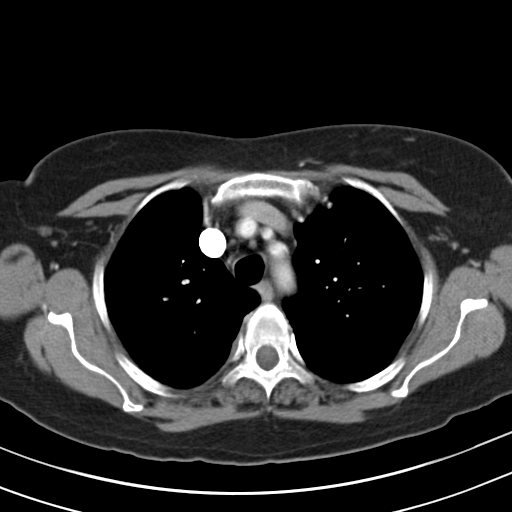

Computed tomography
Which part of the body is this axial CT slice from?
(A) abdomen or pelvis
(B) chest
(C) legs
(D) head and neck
Answer: (B) chest
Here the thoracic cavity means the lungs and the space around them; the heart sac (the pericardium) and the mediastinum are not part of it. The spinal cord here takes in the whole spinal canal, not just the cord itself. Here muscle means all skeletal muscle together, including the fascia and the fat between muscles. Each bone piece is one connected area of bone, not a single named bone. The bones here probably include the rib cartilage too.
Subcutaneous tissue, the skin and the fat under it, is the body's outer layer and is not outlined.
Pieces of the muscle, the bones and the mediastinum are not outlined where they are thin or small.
The spinal cord is outlined by (263, 346) (270, 346) (275, 350) (277, 354) (277, 357) (278, 358) (277, 360) (277, 362) (271, 368) (269, 369) (265, 369) (261, 367) (260, 365) (257, 362) (257, 360) (256, 359) (256, 355) (257, 354) (257, 352) (258, 350) (261, 347). The muscle is outlined by (306, 158) (401, 171) (417, 179) (450, 208) (445, 216) (422, 212) (413, 214) (410, 219) (434, 260) (446, 267) (463, 264) (502, 243) (511, 243) (511, 331) (505, 334) (501, 345) (490, 356) (427, 382) (398, 404) (361, 422) (331, 423) (281, 419) (268, 413) (187, 431) (168, 432) (159, 429) (150, 421) (128, 413) (143, 410) (144, 404) (133, 401) (111, 374) (79, 352) (70, 312) (57, 313) (49, 310) (47, 320) (67, 331) (70, 350) (85, 368) (102, 375) (117, 388) (122, 398) (121, 409) (75, 391) (53, 375) (40, 371) (5, 323) (0, 320) (0, 251) (12, 243) (26, 240) (43, 259) (70, 267) (86, 266) (90, 259) (91, 233) (57, 216) (56, 213) (96, 185) (112, 179) (169, 171) (198, 163) (250, 170), around holes outlined by (252, 171) (305, 178) (323, 193) (344, 185) (343, 176) (356, 177) (401, 218) (422, 272) (433, 270) (434, 289) (423, 323) (414, 321) (394, 358) (404, 354) (405, 363) (388, 382) (357, 392) (324, 378) (302, 384) (285, 377) (268, 400) (253, 379) (224, 386) (219, 371) (197, 386) (174, 388) (174, 398) (146, 390) (116, 360) (116, 351) (130, 356) (95, 307) (96, 260) (102, 255) (106, 267) (134, 210) (159, 186) (195, 173) (187, 186) (203, 198) and by (465, 298) (485, 298) (488, 302) (487, 305) (483, 308) (472, 310) (465, 316) (457, 341) (446, 353) (430, 364) (420, 368) (411, 377) (408, 382) (408, 394) (405, 397) (392, 396) (390, 391) (398, 388) (406, 376) (418, 363) (439, 352) (451, 341) (460, 317) (460, 303). The thoracic cavity appears in 2 outlined pieces: piece 1: (337, 185) (347, 185) (361, 190) (384, 206) (405, 230) (423, 273) (421, 299) (416, 318) (394, 359) (372, 375) (346, 383) (325, 379) (307, 367) (282, 305) (285, 298) (291, 298) (298, 292) (298, 278) (292, 261) (298, 246) (294, 224) (307, 218) (312, 213) (314, 203); piece 2: (187, 186) (202, 196) (202, 227) (197, 242) (200, 251) (208, 258) (219, 259) (239, 284) (257, 293) (260, 303) (244, 316) (243, 326) (235, 338) (235, 348) (219, 371) (197, 386) (178, 389) (152, 377) (130, 358) (109, 317) (104, 291) (104, 273) (130, 221) (155, 197). The mediastinum is outlined by (246, 196) (279, 197) (297, 204) (308, 198) (314, 201) (311, 213) (293, 224) (297, 246) (291, 261) (297, 278) (297, 292) (281, 301) (283, 312) (272, 302) (261, 303) (254, 289) (239, 283) (219, 258) (208, 257) (199, 247) (203, 216) (206, 216) (209, 204) (217, 207). The bones appear in 10 outlined pieces: piece 1: (264, 303) (274, 304) (284, 314) (306, 367) (323, 381) (315, 379) (312, 383) (302, 384) (293, 377) (285, 377) (272, 389) (268, 400) (265, 390) (253, 379) (242, 377) (232, 387) (221, 383) (219, 378) (222, 372) (220, 370) (236, 348) (236, 338) (244, 326) (245, 316), around a hole outlined by (263, 346) (270, 346) (275, 350) (277, 354) (277, 357) (278, 358) (277, 360) (277, 362) (271, 368) (269, 369) (265, 369) (261, 367) (260, 365) (257, 362) (257, 360) (256, 359) (256, 355) (257, 354) (257, 352) (258, 350) (261, 347); piece 2: (252, 171) (270, 172) (292, 179) (305, 178) (319, 186) (321, 191) (325, 193) (318, 201) (308, 197) (302, 203) (297, 203) (293, 200) (279, 196) (269, 197) (246, 195) (217, 206) (209, 203) (205, 216) (203, 215) (202, 202) (206, 196) (213, 193) (219, 184) (230, 178); piece 3: (49, 311) (57, 314) (63, 312) (71, 314) (74, 339) (78, 352) (87, 361) (111, 375) (133, 402) (143, 404) (143, 409) (131, 412) (123, 411) (123, 398) (118, 388) (108, 378) (88, 369) (75, 357) (71, 350) (71, 340) (68, 331) (63, 326) (53, 324) (48, 320); piece 4: (465, 298) (485, 298) (488, 302) (487, 305) (483, 308) (472, 310) (465, 316) (457, 341) (446, 353) (430, 364) (420, 368) (411, 377) (408, 382) (408, 394) (405, 397) (392, 396) (390, 391) (398, 388) (406, 376) (418, 363) (439, 352) (451, 341) (460, 317) (460, 303); piece 5: (116, 351) (118, 351) (128, 357) (140, 369) (152, 378) (157, 380) (163, 384) (165, 384) (173, 388) (173, 391) (175, 393) (180, 395) (180, 396) (175, 398) (173, 397) (166, 397) (165, 396) (162, 396) (150, 392) (143, 388) (132, 379) (118, 363) (115, 357) (115, 352); piece 6: (403, 354) (404, 354) (404, 356) (405, 357) (405, 363) (403, 367) (391, 380) (385, 383) (383, 385) (372, 390) (369, 390) (368, 391) (362, 391) (361, 392) (352, 391) (351, 390) (343, 388) (343, 384) (360, 381) (372, 376) (374, 374) (379, 372) (385, 368) (395, 359); piece 7: (102, 255) (103, 256) (103, 265) (104, 266) (104, 272) (103, 273) (103, 291) (104, 292) (104, 299) (105, 300) (105, 304) (107, 309) (108, 317) (113, 328) (112, 331) (107, 330) (104, 326) (95, 307) (95, 304) (92, 295) (92, 273) (93, 272) (93, 268) (96, 260); piece 8: (343, 176) (350, 176) (351, 177) (356, 177) (357, 178) (359, 178) (371, 184) (377, 188) (377, 189) (385, 197) (385, 198) (395, 209) (403, 222) (404, 228) (381, 202) (380, 202) (375, 197) (369, 193) (361, 189) (359, 189) (353, 186) (345, 184) (342, 180) (342, 177); piece 9: (194, 173) (196, 174) (196, 182) (192, 182) (188, 185) (178, 189) (173, 189) (172, 190) (165, 191) (155, 196) (152, 199) (151, 199) (131, 219) (133, 212) (136, 207) (151, 191) (157, 188) (159, 186) (163, 184) (165, 184) (174, 179) (177, 179) (184, 176) (193, 175); piece 10: (429, 268) (431, 268) (433, 270) (433, 276) (434, 277) (433, 278) (433, 284) (434, 285) (433, 288) (434, 289) (432, 294) (432, 299) (429, 310) (423, 323) (419, 327) (417, 324) (416, 319) (418, 315) (418, 312) (420, 308) (421, 300) (422, 299) (424, 273). The torso is outlined by (339, 123) (398, 124) (457, 136) (487, 151) (511, 175) (511, 394) (457, 415) (444, 426) (420, 435) (331, 457) (259, 465) (218, 464) (201, 460) (159, 461) (96, 448) (57, 434) (0, 400) (0, 180) (22, 179) (52, 149) (71, 140) (108, 130) (174, 128) (249, 137).